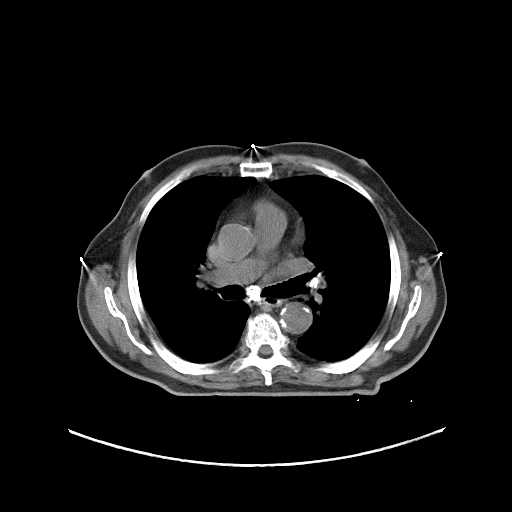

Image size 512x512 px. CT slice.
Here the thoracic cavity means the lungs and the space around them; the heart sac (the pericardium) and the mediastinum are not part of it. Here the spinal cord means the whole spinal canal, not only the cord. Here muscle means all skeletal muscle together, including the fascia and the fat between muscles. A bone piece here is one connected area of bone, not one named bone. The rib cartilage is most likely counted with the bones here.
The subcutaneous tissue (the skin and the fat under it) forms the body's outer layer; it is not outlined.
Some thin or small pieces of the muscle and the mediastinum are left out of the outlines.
The bones appear in 9 outlined pieces: piece 1: 263,312 279,323 289,338 291,354 301,364 298,372 281,364 273,367 270,385 253,365 232,373 226,367 229,359 216,366 222,369 217,373 181,373 160,357 149,339 152,335 186,361 214,362 238,348 248,317; inner edge: 262,345 268,345 271,348 271,354 270,354 268,356 262,356 260,354 259,354 259,349 260,348 260,347; piece 2: 380,336 381,336 381,337 379,343 372,354 363,363 352,371 346,373 334,374 333,373 326,373 320,371 314,371 311,369 311,368 317,366 322,362 336,362 337,361 344,360 357,352 363,347 370,339 373,339; piece 3: 389,234 392,235 394,238 399,256 399,262 401,270 401,281 399,286 399,292 397,296 397,300 395,306 393,309 393,312 390,316 386,311 386,306 390,288 390,281 391,280 391,261 390,260 389,244 387,237; piece 4: 133,253 135,253 135,264 136,265 137,284 138,285 139,294 141,298 143,307 146,313 146,319 144,321 144,327 141,326 136,316 130,300 129,292 128,291 128,285 127,284 127,266 128,265 128,260; piece 5: 193,165 196,165 197,166 197,168 188,178 183,180 174,186 166,193 165,193 156,202 150,210 145,220 145,222 141,228 139,225 139,218 143,209 151,197 161,186 162,186 181,170 184,168 190,167; piece 6: 303,161 311,161 318,164 325,164 330,168 334,168 338,171 340,171 347,174 356,181 370,195 374,201 374,206 363,195 359,192 356,191 353,188 334,178 324,175 319,171 311,167 309,167 302,164 302,162; piece 7: 106,286 108,286 111,289 114,301 119,310 125,316 129,329 132,335 136,340 143,343 152,351 152,354 145,353 140,348 135,345 127,335 123,321 119,317 113,316 110,313 106,304 104,292 103,291; piece 8: 249,160 251,160 253,162 255,161 270,161 272,163 273,170 276,172 275,175 274,173 271,177 254,177 253,176 241,176 239,174 239,172 238,171 239,169 239,164 241,162 248,161; piece 9: 416,285 419,285 421,287 421,299 419,303 419,306 415,314 408,320 400,338 396,341 388,350 384,351 384,346 385,344 399,331 402,321 405,315 407,313 408,305 413,296 414,287. The pericardium is outlined by 264,195 274,195 288,203 299,214 303,223 303,235 301,240 302,248 300,251 298,266 290,276 284,279 261,279 244,274 233,269 227,263 224,262 220,258 217,251 218,232 221,226 232,212 238,206 249,200. The mediastinum is outlined by 285,171 314,173 268,184 299,213 274,194 251,198 220,226 216,251 244,275 287,279 300,263 303,219 305,271 299,291 312,323 294,352 271,314 251,316 249,306 211,276 206,254 218,217 231,200 256,178. The muscle appears in 2 outlined pieces: piece 1: 225,154 241,155 254,160 241,161 238,164 238,173 210,172 191,176 198,168 196,164 193,164 181,169 161,185 150,197 138,218 138,225 141,231 136,251 127,260 126,284 129,300 140,326 142,328 145,327 147,314 160,339 152,334 148,335 154,351 177,372 193,376 217,374 223,370 217,366 229,360 225,367 232,374 237,374 249,366 259,369 265,385 250,385 233,389 207,388 188,384 139,365 110,345 101,336 93,325 85,304 85,286 91,269 103,263 109,263 114,268 117,267 121,244 125,235 125,226 139,202 161,180 178,167 197,159 with a hole at 106,286 108,286 111,289 114,301 119,310 125,316 129,329 132,335 136,340 143,343 152,351 152,354 145,353 140,348 135,345 127,335 123,321 119,317 113,316 110,313 106,304 104,292 103,291; piece 2: 277,153 304,154 329,160 369,186 394,214 396,225 405,243 409,258 416,260 423,256 431,266 437,293 436,305 431,318 405,350 396,353 383,364 370,370 365,380 359,385 329,387 287,382 272,384 272,370 281,365 294,373 298,373 302,368 302,364 292,354 292,352 295,352 321,362 311,367 312,371 340,375 352,372 373,354 382,336 371,338 385,310 389,317 394,312 400,292 402,270 395,238 390,233 387,236 382,221 374,207 374,199 347,173 330,167 325,163 311,160 303,160 301,164 320,173 305,170 277,172 274,170 273,163 270,160 260,160 with a hole at 416,285 419,285 421,287 421,299 419,303 419,306 415,314 408,320 400,338 396,341 388,350 384,351 384,346 385,344 399,331 402,321 405,315 407,313 408,305 413,296 414,287. The torso is outlined by 286,141 323,143 364,158 434,239 447,303 441,322 423,355 399,375 382,382 374,395 354,393 349,396 180,396 131,376 108,362 80,323 76,295 86,247 114,217 131,186 144,170 189,147 217,143 250,147. The spinal cord is outlined by 262,345 268,345 271,348 271,354 270,354 268,356 262,356 260,354 259,354 259,349 260,348 260,347. The thoracic cavity appears in 2 outlined pieces: piece 1: 210,173 255,178 255,183 233,197 220,211 205,254 210,276 234,297 234,300 244,302 249,308 249,315 240,344 233,352 214,361 194,362 177,355 158,335 140,294 136,252 142,228 157,202 190,177; piece 2: 311,174 321,174 334,179 363,196 375,209 388,244 390,280 383,314 366,343 350,356 336,361 319,361 296,353 298,339 313,323 313,314 306,295 300,291 306,271 304,244 307,232 299,210 269,184 276,179.